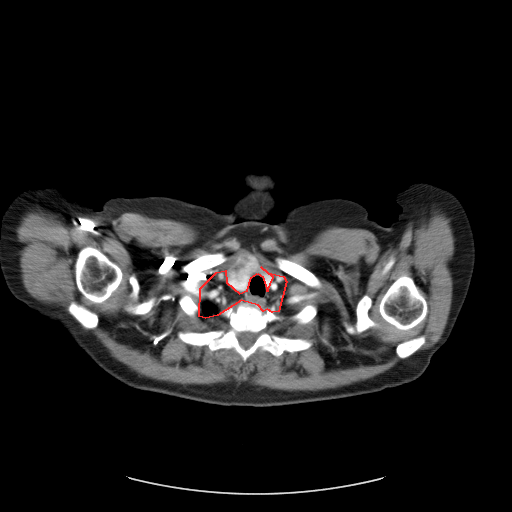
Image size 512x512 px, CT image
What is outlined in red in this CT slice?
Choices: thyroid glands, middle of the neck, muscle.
red: middle of the neck.
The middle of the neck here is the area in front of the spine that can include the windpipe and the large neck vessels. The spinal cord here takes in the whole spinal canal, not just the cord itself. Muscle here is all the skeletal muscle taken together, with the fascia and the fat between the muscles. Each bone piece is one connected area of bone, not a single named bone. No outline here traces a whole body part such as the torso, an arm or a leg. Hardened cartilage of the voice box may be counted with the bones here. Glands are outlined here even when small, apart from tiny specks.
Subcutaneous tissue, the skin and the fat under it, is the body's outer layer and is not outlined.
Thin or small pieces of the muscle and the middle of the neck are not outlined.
{"middle_of_the_neck":[[[261,267],[267,272],[283,276],[286,281],[278,311],[272,312],[267,309],[263,311],[258,305],[241,300],[217,315],[205,318],[199,316],[200,288],[216,272],[225,270],[226,282],[239,293],[247,290],[251,277],[257,273],[262,276],[267,291],[273,277]]],"muscle":[{"outer":[[433,205],[451,219],[454,236],[452,299],[440,338],[423,350],[423,334],[402,340],[394,350],[401,360],[393,366],[334,388],[289,391],[247,382],[181,384],[142,376],[78,325],[95,329],[95,311],[75,300],[67,311],[38,300],[26,289],[19,265],[16,227],[37,207],[59,218],[111,219],[135,212],[188,223],[212,238],[237,236],[250,243],[274,236],[294,251],[330,226],[362,228],[380,244],[394,243],[409,220]],"holes":[[[243,252],[286,281],[281,306],[273,313],[283,319],[271,322],[269,330],[311,340],[310,347],[279,356],[258,348],[244,362],[233,348],[212,351],[178,337],[179,331],[227,325],[228,319],[219,314],[190,317],[179,299],[189,295],[197,303],[201,286]],[[87,246],[94,247],[102,252],[107,256],[110,260],[114,262],[120,268],[122,273],[122,278],[119,285],[111,295],[102,303],[93,303],[84,297],[84,296],[78,290],[78,288],[76,285],[76,280],[75,279],[75,262],[77,258],[78,252],[81,249]],[[402,275],[407,275],[413,279],[420,292],[424,297],[427,304],[427,312],[424,319],[414,327],[410,328],[407,330],[400,330],[395,328],[392,325],[388,323],[382,317],[379,311],[379,304],[380,303],[380,300],[382,296],[385,293],[390,285],[396,279]],[[364,295],[367,295],[371,299],[371,306],[368,310],[368,316],[373,321],[378,323],[379,324],[379,326],[378,327],[371,327],[361,333],[350,334],[347,332],[345,329],[344,323],[346,323],[349,325],[353,325],[355,323],[356,321],[356,306],[359,300]],[[276,258],[284,258],[285,259],[291,260],[296,263],[298,263],[300,265],[301,265],[303,267],[304,267],[306,269],[310,271],[319,280],[320,282],[320,286],[319,287],[313,287],[312,286],[310,286],[303,281],[279,269],[275,261],[275,259]],[[218,252],[221,252],[227,256],[228,258],[227,260],[224,262],[218,265],[216,265],[212,267],[209,267],[202,271],[199,271],[198,272],[189,272],[186,270],[185,266],[188,262],[190,261],[193,261],[197,259],[203,254],[205,254],[206,253],[213,254]],[[307,305],[313,305],[314,306],[315,306],[317,309],[317,312],[316,313],[315,316],[310,321],[309,321],[305,324],[302,324],[301,325],[297,325],[294,322],[291,321],[288,318],[291,315],[298,312],[300,310],[301,310],[305,306],[306,306]],[[151,298],[154,298],[154,302],[153,303],[153,305],[150,309],[150,310],[144,314],[140,314],[139,315],[136,315],[135,314],[133,314],[132,313],[130,313],[126,311],[125,309],[125,307],[128,305],[134,305],[140,302],[147,301]],[[132,274],[134,274],[136,276],[136,277],[138,280],[139,285],[140,286],[140,289],[139,290],[139,293],[138,294],[138,298],[137,299],[137,300],[133,300],[131,298],[130,298],[130,297],[129,296],[132,291],[132,286],[129,282],[129,277]]]}],"bones":[{"outer":[[240,302],[282,316],[283,319],[268,325],[272,333],[308,339],[312,345],[299,351],[284,351],[279,356],[258,348],[244,362],[233,348],[212,351],[207,345],[182,341],[177,334],[179,331],[205,332],[224,328],[228,319],[219,314],[230,306],[235,308]],"hole":[[240,332],[252,332],[253,333],[256,333],[257,334],[257,336],[256,337],[256,338],[255,339],[254,342],[249,347],[248,347],[247,348],[244,348],[242,346],[241,346],[241,345],[239,343],[239,341],[238,340],[238,338],[237,337],[237,334]]},[[87,246],[94,247],[102,252],[107,256],[110,260],[114,262],[120,268],[122,273],[122,278],[119,285],[111,295],[102,303],[93,303],[84,297],[84,296],[78,290],[78,288],[76,285],[76,280],[75,279],[75,262],[77,258],[78,252],[81,249]],[[402,275],[407,275],[413,279],[420,292],[424,297],[427,304],[427,312],[424,319],[414,327],[410,328],[407,330],[400,330],[395,328],[392,325],[388,323],[382,317],[379,311],[379,304],[380,303],[380,300],[382,296],[385,293],[390,285],[396,279]],[[364,295],[367,295],[371,299],[371,306],[368,310],[368,316],[373,321],[378,323],[379,324],[379,326],[378,327],[371,327],[361,333],[350,334],[347,332],[345,329],[344,323],[346,323],[349,325],[353,325],[355,323],[356,321],[356,306],[359,300]],[[276,258],[284,258],[285,259],[291,260],[296,263],[298,263],[300,265],[301,265],[303,267],[304,267],[306,269],[310,271],[319,280],[320,282],[320,286],[319,287],[313,287],[312,286],[310,286],[303,281],[279,269],[275,261],[275,259]],[[73,301],[75,301],[76,302],[83,305],[85,307],[86,307],[90,310],[95,312],[97,314],[97,315],[98,316],[98,324],[95,328],[93,328],[92,329],[86,329],[85,328],[84,328],[69,313],[69,312],[68,311],[68,307],[69,306],[70,303]],[[218,252],[221,252],[227,256],[228,258],[227,260],[224,262],[218,265],[216,265],[212,267],[209,267],[202,271],[199,271],[198,272],[189,272],[186,270],[185,266],[188,262],[190,261],[193,261],[197,259],[203,254],[205,254],[206,253],[213,254]],[[420,335],[423,335],[425,337],[425,342],[419,348],[419,349],[413,354],[404,359],[401,359],[399,358],[396,354],[396,352],[395,351],[397,345],[402,341],[404,341],[405,340],[407,340],[408,339],[410,339],[411,338],[413,338],[414,337],[416,337]],[[307,305],[313,305],[314,306],[315,306],[317,309],[317,312],[316,313],[315,316],[310,321],[309,321],[305,324],[302,324],[301,325],[297,325],[294,322],[291,321],[288,318],[291,315],[298,312],[300,310],[301,310],[305,306],[306,306]],[[184,295],[189,295],[197,303],[198,306],[200,308],[200,311],[198,313],[198,316],[196,319],[194,319],[193,318],[190,317],[188,315],[187,315],[182,310],[182,309],[181,308],[181,307],[179,304],[179,299],[182,296],[183,296]],[[151,298],[154,298],[154,302],[153,303],[153,305],[150,309],[150,310],[144,314],[140,314],[139,315],[136,315],[135,314],[133,314],[132,313],[130,313],[126,311],[125,309],[125,307],[128,305],[134,305],[140,302],[147,301]],[[132,274],[134,274],[136,276],[136,277],[138,280],[139,285],[140,286],[140,289],[139,290],[139,293],[138,294],[138,298],[137,299],[137,300],[133,300],[131,298],[130,298],[130,297],[129,296],[132,291],[132,286],[129,282],[129,277]]],"spinal_cord":[[[240,332],[252,332],[253,333],[256,333],[257,334],[257,336],[256,337],[256,338],[255,339],[254,342],[249,347],[248,347],[247,348],[244,348],[242,346],[241,346],[241,345],[239,343],[239,341],[238,340],[238,338],[237,337],[237,334]]],"thyroid_glands":[[[243,252],[251,253],[255,256],[258,260],[260,269],[263,272],[271,275],[272,281],[270,285],[268,286],[267,290],[263,276],[257,272],[254,273],[250,277],[247,284],[247,288],[243,292],[237,291],[227,282],[225,278],[226,270],[236,262],[238,256]]]}